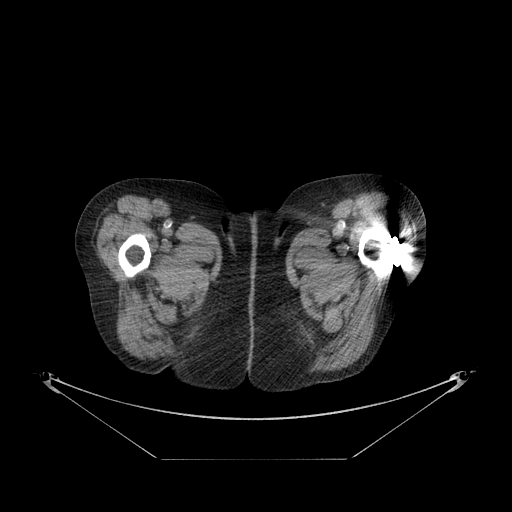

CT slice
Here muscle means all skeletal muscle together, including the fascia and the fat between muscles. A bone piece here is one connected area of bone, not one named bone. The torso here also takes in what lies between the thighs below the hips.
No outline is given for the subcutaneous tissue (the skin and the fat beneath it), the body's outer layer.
muscle 1: 368,190 381,191 398,198 411,212 418,229 414,258 386,288 377,309 372,339 364,353 355,362 339,370 308,373 306,371 317,346 317,338 288,283 285,273 285,257 290,242 299,231 319,221 337,201 355,192 with a hole at 371,225 382,225 383,226 385,226 389,230 389,232 391,236 391,245 392,246 391,247 391,258 390,259 390,262 383,268 377,268 376,269 368,268 362,264 357,254 358,252 358,238 359,237 359,234 363,229
muscle 2: 131,192 145,193 162,198 184,218 197,222 213,231 218,237 222,249 222,260 217,281 200,313 176,338 175,342 181,353 173,360 142,360 130,355 122,348 116,334 113,285 91,245 96,219 104,205 119,194 with a hole at 133,233 143,233 145,235 149,244 149,248 150,249 150,252 151,253 151,257 150,258 150,263 147,268 137,273 132,277 126,277 124,274 124,272 120,267 119,263 118,262 118,250 121,244 131,234
torso: 259,205 267,205 274,209 279,206 279,220 276,229 273,232 268,241 267,246 260,253 259,256 252,262 241,256 235,250 235,248 232,246 229,240 228,234 228,219 230,208 233,210 237,210 243,207 252,208
right leg: 142,176 199,182 217,192 229,206 228,240 241,257 253,264 253,338 249,373 234,389 211,391 193,387 176,380 168,368 156,374 128,369 105,346 96,329 88,289 74,249 76,225 85,205 100,189 118,180
left leg: 356,172 374,172 393,177 415,193 426,218 426,263 420,274 399,298 392,324 374,359 363,371 343,380 320,383 293,392 272,394 257,390 248,380 254,338 253,263 268,246 280,220 280,205 292,190 316,179
bones 1: 371,225 382,225 383,226 385,226 389,230 389,232 391,236 391,245 392,246 391,247 391,258 390,259 390,262 383,268 377,268 376,269 368,268 362,264 357,254 358,252 358,238 359,237 359,234 363,229
bones 2: 133,233 143,233 145,235 149,244 149,248 150,249 150,252 151,253 151,257 150,258 150,263 147,268 137,273 132,277 126,277 124,274 124,272 120,267 119,263 118,262 118,250 121,244 131,234